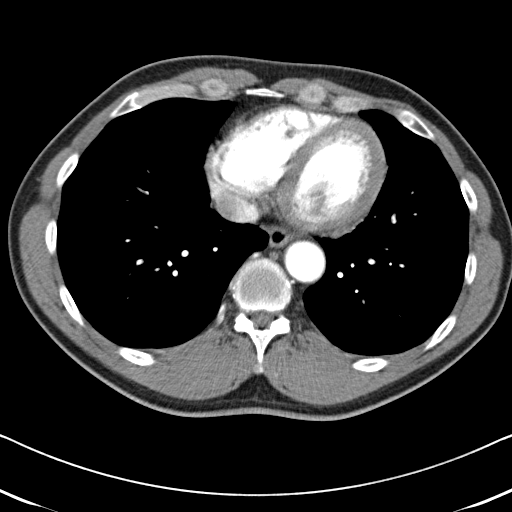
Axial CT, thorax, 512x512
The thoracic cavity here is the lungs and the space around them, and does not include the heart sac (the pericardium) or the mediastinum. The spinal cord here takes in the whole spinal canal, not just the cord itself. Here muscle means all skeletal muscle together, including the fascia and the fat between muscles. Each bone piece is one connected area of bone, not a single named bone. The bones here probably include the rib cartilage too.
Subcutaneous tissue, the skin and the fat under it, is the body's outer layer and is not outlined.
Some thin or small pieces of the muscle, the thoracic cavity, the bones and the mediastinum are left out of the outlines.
The spinal cord is outlined by (260, 310) (264, 310) (267, 312) (270, 312) (271, 313) (273, 313) (274, 315) (274, 318) (268, 324) (268, 325) (262, 328) (256, 326) (255, 323) (250, 318) (249, 316) (250, 313) (252, 312) (254, 312) (255, 311) (259, 311). The muscle is outlined by (203, 66) (213, 66) (230, 69) (242, 68) (253, 73) (261, 79) (266, 86) (286, 77) (296, 77) (307, 79) (312, 79) (317, 77) (325, 78) (340, 85) (343, 85) (376, 97) (386, 97) (405, 102) (411, 105) (421, 115) (440, 129) (447, 136) (454, 146) (465, 167) (473, 172) (483, 183) (490, 200) (494, 222) (498, 231) (499, 236) (498, 240) (503, 255) (503, 266) (496, 298) (488, 314) (477, 328) (450, 350) (433, 361) (410, 372) (407, 375) (389, 384) (384, 385) (376, 390) (369, 392) (365, 395) (359, 396) (349, 401) (328, 406) (324, 405) (316, 406) (305, 402) (294, 400) (282, 394) (274, 388) (263, 374) (252, 375) (242, 382) (238, 387) (223, 395) (211, 397) (207, 399) (190, 400) (173, 397) (150, 389) (146, 386) (129, 380) (120, 374) (114, 372) (94, 357) (89, 355) (66, 336) (49, 319) (37, 304) (28, 288) (23, 272) (18, 237) (19, 226) (22, 218) (21, 211) (27, 199) (38, 183) (39, 181) (38, 178) (41, 176) (50, 160) (61, 149) (70, 144) (76, 134) (93, 116) (109, 105) (120, 95) (132, 88) (138, 87) (143, 84) (166, 79) (189, 69) with holes at (210, 78) (227, 83) (234, 97) (246, 88) (267, 87) (329, 110) (338, 96) (355, 96) (390, 115) (409, 110) (431, 130) (456, 180) (469, 182) (478, 205) (468, 214) (475, 276) (461, 285) (450, 311) (455, 324) (441, 341) (427, 350) (422, 342) (384, 354) (389, 362) (377, 371) (357, 370) (352, 363) (359, 356) (333, 344) (294, 293) (283, 311) (290, 331) (270, 340) (264, 370) (256, 373) (255, 345) (233, 328) (238, 308) (227, 289) (222, 322) (214, 319) (190, 339) (152, 350) (151, 365) (125, 359) (119, 344) (85, 318) (81, 326) (70, 316) (59, 295) (65, 281) (58, 254) (50, 254) (45, 242) (47, 223) (59, 216) (60, 167) (72, 153) (82, 155) (131, 92) (184, 83) (201, 99) (199, 85) and at (310, 84) (318, 84) (322, 86) (326, 92) (326, 97) (325, 99) (323, 101) (323, 102) (319, 105) (315, 105) (311, 103) (307, 103) (306, 102) (304, 102) (298, 99) (297, 97) (298, 96) (298, 92) (299, 90) (304, 88) (306, 86). The torso is outlined by (196, 54) (365, 69) (413, 89) (457, 128) (489, 170) (511, 220) (511, 283) (498, 318) (473, 347) (439, 375) (383, 405) (341, 419) (305, 420) (159, 411) (110, 387) (54, 342) (26, 307) (11, 271) (7, 222) (15, 192) (46, 144) (113, 82) (140, 66). The bones appear in 15 outlined pieces: piece 1: (257, 252) (261, 257) (277, 263) (287, 277) (293, 281) (292, 299) (283, 311) (290, 321) (290, 331) (277, 334) (270, 340) (263, 354) (262, 365) (264, 370) (261, 373) (254, 371) (257, 354) (250, 336) (233, 328) (238, 308) (228, 290) (228, 285) (239, 267) (253, 253) with a hole at (260, 310) (264, 310) (267, 312) (270, 312) (271, 313) (273, 313) (274, 315) (274, 318) (268, 324) (268, 325) (262, 328) (256, 326) (255, 323) (250, 318) (249, 316) (250, 313) (252, 312) (254, 312) (255, 311) (259, 311); piece 2: (178, 83) (189, 84) (195, 87) (196, 88) (196, 95) (199, 98) (194, 98) (193, 97) (169, 97) (168, 98) (163, 98) (151, 102) (141, 108) (117, 116) (112, 119) (109, 117) (110, 112) (128, 94) (133, 91) (138, 91) (148, 87) (155, 87) (162, 85) (173, 85); piece 3: (395, 109) (406, 109) (407, 110) (409, 110) (411, 111) (413, 113) (417, 115) (434, 134) (435, 136) (434, 138) (434, 140) (432, 141) (425, 137) (420, 136) (414, 133) (412, 131) (409, 130) (407, 128) (404, 127) (391, 114) (391, 113); piece 4: (210, 78) (221, 79) (227, 83) (228, 84) (228, 88) (231, 90) (233, 93) (233, 96) (231, 98) (228, 98) (227, 99) (218, 99) (217, 100) (208, 100) (207, 99) (203, 99) (202, 98) (203, 98) (204, 96) (201, 93) (199, 89) (199, 85) (204, 80); piece 5: (342, 95) (344, 95) (345, 96) (355, 96) (356, 97) (359, 97) (360, 98) (365, 99) (369, 102) (370, 108) (369, 109) (364, 109) (363, 110) (360, 110) (357, 112) (346, 112) (345, 113) (343, 113) (342, 112) (337, 111) (332, 107) (332, 101) (338, 96) (341, 96); piece 6: (450, 313) (454, 313) (456, 315) (456, 321) (452, 329) (449, 332) (449, 333) (441, 341) (437, 343) (431, 348) (427, 350) (424, 350) (424, 344) (423, 343) (434, 332) (434, 331) (439, 326) (439, 325) (447, 317) (447, 316); piece 7: (118, 346) (125, 346) (126, 347) (129, 347) (130, 348) (134, 348) (135, 349) (141, 349) (146, 352) (148, 352) (152, 354) (155, 360) (155, 362) (151, 365) (138, 365) (137, 364) (132, 363) (130, 361) (122, 357) (117, 352) (117, 348); piece 8: (61, 283) (64, 283) (65, 284) (71, 296) (73, 298) (79, 311) (83, 316) (84, 318) (84, 325) (83, 326) (81, 326) (79, 325) (79, 324) (70, 316) (70, 315) (66, 310) (60, 298) (60, 296) (59, 295) (59, 285); piece 9: (310, 84) (318, 84) (322, 86) (326, 92) (326, 97) (325, 99) (323, 101) (323, 102) (319, 105) (315, 105) (311, 103) (307, 103) (306, 102) (304, 102) (298, 99) (297, 97) (298, 96) (298, 92) (299, 90) (304, 88) (306, 86); piece 10: (369, 356) (382, 356) (388, 359) (389, 362) (387, 365) (386, 365) (383, 368) (377, 371) (372, 371) (371, 372) (367, 372) (366, 371) (361, 371) (360, 370) (357, 370) (352, 367) (352, 363) (354, 361) (360, 358) (362, 358) (363, 357) (368, 357); piece 11: (74, 152) (77, 152) (79, 153) (80, 155) (79, 157) (79, 159) (78, 160) (78, 162) (75, 168) (70, 174) (70, 175) (66, 179) (62, 187) (60, 189) (56, 186) (56, 177) (57, 176) (58, 171) (60, 167) (64, 162) (64, 161) (72, 153); piece 12: (461, 178) (465, 178) (469, 182) (470, 185) (472, 187) (473, 190) (475, 192) (475, 194) (476, 195) (476, 198) (477, 199) (477, 204) (478, 205) (477, 206) (477, 209) (474, 213) (469, 213) (469, 210) (468, 209) (468, 207) (461, 193) (461, 190) (459, 186) (459, 181); piece 13: (52, 218) (53, 218) (56, 220) (56, 224) (57, 225) (57, 237) (56, 238) (56, 253) (55, 254) (50, 254) (49, 253) (49, 252) (47, 249) (47, 247) (46, 246) (46, 243) (45, 242) (45, 228) (47, 225) (47, 223); piece 14: (471, 251) (475, 254) (476, 256) (476, 260) (477, 261) (477, 265) (476, 266) (476, 271) (475, 272) (475, 276) (473, 279) (473, 281) (470, 284) (464, 284) (463, 283) (463, 281) (464, 280) (464, 272) (465, 271) (465, 264) (466, 263) (466, 260) (467, 259) (468, 253); piece 15: (250, 87) (267, 87) (270, 89) (273, 89) (274, 90) (276, 90) (277, 91) (282, 92) (284, 93) (285, 96) (281, 98) (278, 98) (277, 97) (272, 97) (271, 96) (260, 96) (259, 95) (253, 95) (252, 94) (246, 94) (244, 93) (244, 90) (246, 88) (249, 88). The thoracic cavity appears in 2 outlined pieces: piece 1: (169, 98) (227, 100) (234, 104) (209, 144) (203, 162) (211, 197) (209, 207) (225, 220) (259, 227) (267, 233) (268, 241) (238, 267) (214, 319) (203, 330) (180, 344) (149, 352) (112, 341) (84, 317) (60, 267) (57, 220) (65, 182) (105, 126) (117, 117); piece 2: (370, 109) (391, 115) (404, 128) (437, 146) (468, 210) (468, 252) (458, 296) (450, 312) (423, 342) (396, 353) (359, 357) (333, 344) (309, 318) (300, 298) (325, 272) (326, 256) (319, 240) (338, 240) (354, 230) (369, 214) (386, 178) (388, 163) (382, 142) (359, 114). The pericardium is outlined by (299, 102) (300, 104) (314, 108) (325, 108) (365, 120) (373, 128) (384, 151) (387, 170) (383, 183) (369, 212) (351, 231) (338, 237) (313, 235) (295, 225) (280, 221) (251, 200) (220, 187) (212, 174) (212, 162) (218, 142) (236, 120) (265, 105) (280, 103) (296, 104). The mediastinum is outlined by (243, 93) (298, 102) (265, 104) (236, 119) (215, 147) (211, 162) (215, 182) (280, 222) (313, 236) (342, 236) (318, 240) (325, 256) (324, 272) (299, 298) (283, 268) (257, 251) (266, 247) (268, 233) (252, 223) (225, 219) (210, 207) (206, 154) (235, 106) (228, 99).